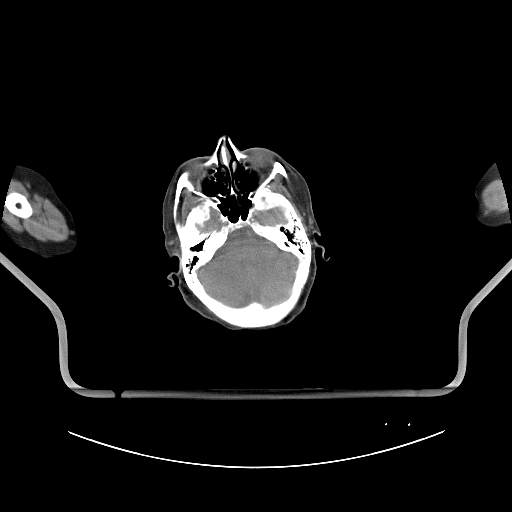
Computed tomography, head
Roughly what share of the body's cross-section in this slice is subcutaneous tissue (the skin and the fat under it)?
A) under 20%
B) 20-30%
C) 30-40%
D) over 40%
B) 20-30%
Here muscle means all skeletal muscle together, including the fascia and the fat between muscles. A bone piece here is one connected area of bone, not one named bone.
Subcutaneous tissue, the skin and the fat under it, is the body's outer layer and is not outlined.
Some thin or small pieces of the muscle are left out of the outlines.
The brain appears in 3 outlined pieces: piece 1: 245 227; 249 227; 257 236; 273 243; 280 250; 291 253; 297 259; 297 265; 294 271; 294 277; 287 297; 268 306; 265 306; 255 300; 243 306; 228 305; 212 296; 206 290; 198 275; 198 270; 212 259; 216 252; 227 241; 229 234; piece 2: 276 208; 280 210; 282 214; 282 216; 284 219; 284 221; 278 221; 274 223; 262 223; 260 221; 256 219; 256 218; 254 216; 254 214; 256 212; 264 212; 265 211; 269 211; 270 210; 272 210; piece 3: 212 211; 215 212; 217 216; 217 219; 220 223; 219 224; 219 226; 217 227; 214 227; 208 230; 202 230; 202 229; 205 226; 205 224; 206 222; 209 221; 211 219; 212 217. The muscle appears in 6 outlined pieces: piece 1: 12 177; 33 185; 62 212; 69 222; 72 230; 72 236; 67 242; 58 244; 57 243; 47 243; 25 237; 13 230; 5 222; 2 218; 4 208; 10 213; 21 219; 29 218; 34 212; 32 205; 24 194; 15 190; 8 189; piece 2: 285 167; 293 174; 302 188; 306 201; 307 212; 310 216; 312 225; 312 228; 310 230; 309 236; 307 233; 305 225; 302 221; 302 218; 294 205; 284 194; 281 192; 273 190; 270 186; 270 182; 277 174; 280 174; 287 180; 289 178; piece 3: 500 175; 501 183; 502 184; 503 191; 504 192; 503 193; 505 196; 505 201; 507 204; 507 207; 508 208; 509 213; 502 216; 500 215; 493 215; 492 214; 485 214; 482 209; 481 203; 479 199; 481 195; 481 192; 485 186; 493 178; piece 4: 184 188; 185 188; 189 192; 194 194; 197 197; 198 202; 188 211; 186 215; 186 217; 185 218; 184 222; 183 223; 181 223; 177 218; 177 211; 178 210; 178 206; 179 205; 179 201; 180 200; 180 195; 181 194; 182 190; piece 5: 176 180; 175 190; 174 191; 174 198; 173 199; 173 205; 172 206; 172 219; 173 220; 174 228; 179 241; 179 249; 180 250; 179 254; 171 241; 172 239; 171 238; 170 230; 169 229; 169 224; 168 223; 168 206; 171 195; 171 190; piece 6: 191 292; 212 313; 211 313; 210 312; 209 312; 208 311; 207 311; 201 305; 200 305; 198 303; 198 302; 194 298; 194 297; 192 295; 192 294; 191 293. The head is outlined by 222 134; 239 150; 273 150; 303 176; 310 192; 321 232; 315 239; 328 259; 316 249; 316 273; 305 307; 278 329; 228 330; 191 309; 177 277; 172 276; 173 286; 167 278; 179 265; 164 245; 162 203; 167 186; 182 162; 211 155; inner edges: 239 165; 247 172; 254 174; 257 185; 246 195; 250 204; 245 215; 240 212; 236 219; 233 220; 227 213; 224 213; 219 206; 222 202; 221 200; 228 196; 233 196; 236 199; 244 194; 239 186; 243 183; 243 179; 237 176, then 218 173; 220 173; 221 175; 224 177; 224 179; 219 184; 219 185; 222 188; 224 188; 227 190; 227 192; 223 193; 219 191; 213 195; 208 195; 204 192; 203 190; 203 183; 205 180; 212 180; 216 182; 218 179; 216 176; 216 174. The right arm is outlined by 18 164; 30 167; 41 173; 50 182; 59 198; 71 212; 74 221; 78 227; 80 236; 79 244; 73 251; 53 258; 43 258; 27 249; 17 246; 3 233; 1 225; 4 209; 4 201; 6 194; 8 192; 13 172; 16 165. The left arm is outlined by 493 162; 496 164; 501 178; 501 183; 504 192; 503 193; 505 196; 505 201; 507 204; 507 207; 509 211; 509 217; 510 218; 510 223; 497 228; 490 228; 480 224; 476 220; 474 216; 474 205; 475 204; 474 188; 475 185; 482 174. The bones appear in 2 outlined pieces: piece 1: 221 136; 247 155; 247 171; 239 164; 236 174; 243 194; 222 198; 221 211; 233 221; 240 213; 245 216; 251 204; 248 193; 278 161; 288 178; 277 173; 269 186; 296 209; 311 243; 309 274; 299 299; 272 325; 244 328; 219 318; 189 289; 180 267; 173 219; 176 183; 188 170; 192 182; 199 181; 208 196; 228 192; 220 185; 225 179; 220 172; 216 181; 208 179; 210 169; 201 166; inner edges: 245 227; 249 227; 257 236; 273 243; 280 250; 291 253; 297 259; 297 265; 294 271; 294 277; 287 297; 268 306; 265 306; 255 300; 243 306; 228 305; 212 296; 206 290; 198 275; 198 270; 212 259; 216 252; 227 241; 229 234, then 184 188; 185 188; 189 192; 194 194; 197 197; 198 202; 188 211; 186 215; 186 217; 185 218; 184 222; 183 223; 181 223; 177 218; 177 211; 178 210; 178 206; 179 205; 179 201; 180 200; 180 195; 181 194; 182 190, then 276 208; 280 210; 282 214; 282 216; 284 219; 284 221; 278 221; 274 223; 262 223; 260 221; 256 219; 256 218; 254 216; 254 214; 256 212; 264 212; 265 211; 269 211; 270 210; 272 210, then 212 211; 215 212; 217 216; 217 219; 220 223; 219 224; 219 226; 217 227; 214 227; 208 230; 202 230; 202 229; 205 226; 205 224; 206 222; 209 221; 211 219; 212 217; piece 2: 8 190; 10 191; 15 191; 16 192; 18 192; 24 195; 26 197; 29 203; 31 205; 32 209; 33 210; 32 214; 29 217; 27 218; 21 218; 15 215; 13 213; 10 212; 5 207; 4 207; 4 201; 6 197; 6 194; 8 192.